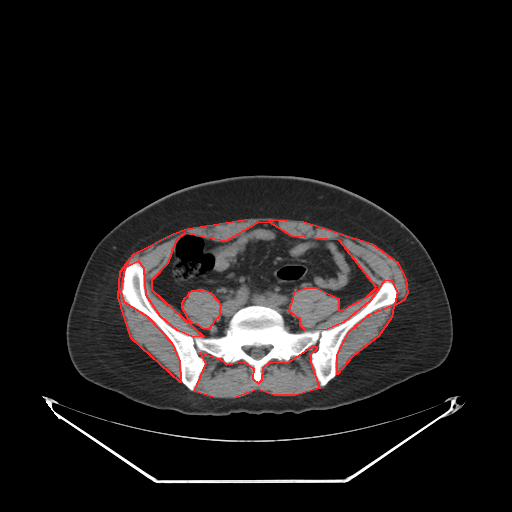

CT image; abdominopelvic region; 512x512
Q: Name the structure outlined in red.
A: red: muscle.
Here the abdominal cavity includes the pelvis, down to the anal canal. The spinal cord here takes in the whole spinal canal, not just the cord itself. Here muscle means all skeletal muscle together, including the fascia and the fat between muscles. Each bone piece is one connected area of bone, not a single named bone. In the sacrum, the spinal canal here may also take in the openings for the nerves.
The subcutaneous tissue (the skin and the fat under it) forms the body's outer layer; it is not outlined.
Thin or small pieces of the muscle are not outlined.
{"muscle":[[[251,218],[303,221],[371,243],[397,262],[405,278],[407,293],[403,300],[393,306],[391,317],[378,336],[352,356],[337,374],[337,355],[348,332],[369,314],[395,303],[398,292],[392,281],[384,280],[370,300],[343,322],[327,329],[305,330],[300,325],[300,319],[289,311],[295,291],[307,287],[317,288],[338,298],[338,309],[341,310],[367,296],[376,287],[339,240],[292,236],[269,222],[256,223],[225,241],[184,233],[175,241],[167,263],[151,280],[151,289],[203,336],[193,337],[177,330],[160,316],[146,295],[144,268],[138,261],[124,268],[120,291],[123,301],[147,316],[171,342],[179,361],[180,382],[131,338],[118,297],[120,271],[134,253],[173,233],[187,228]],[[312,346],[316,346],[316,349],[310,354],[310,362],[319,388],[295,395],[274,395],[257,389],[233,398],[213,397],[194,391],[206,363],[200,352],[219,358],[226,364],[243,361],[253,368],[252,378],[258,383],[262,379],[263,367],[270,361],[288,362]],[[198,289],[203,289],[210,292],[218,301],[220,306],[220,308],[219,309],[219,315],[218,317],[213,321],[212,324],[208,329],[202,328],[197,324],[192,323],[188,319],[186,314],[182,308],[182,302],[185,297],[188,295],[189,292],[192,290],[197,290]]],"bones":[{"outer":[[133,262],[154,310],[193,338],[223,336],[250,305],[276,310],[293,333],[327,330],[359,312],[384,281],[397,293],[347,332],[336,374],[322,387],[312,345],[288,361],[270,360],[258,382],[243,360],[200,351],[205,363],[191,391],[172,342],[124,301]],"hole":[[264,345],[267,345],[268,346],[269,345],[270,345],[271,346],[271,349],[269,352],[266,353],[263,356],[262,356],[260,358],[254,358],[252,356],[249,355],[242,348],[242,347],[243,346],[251,346],[252,347],[260,347],[261,346],[263,346]]}],"abdominal_cavity":[{"outer":[[259,223],[275,225],[300,239],[339,241],[375,287],[341,309],[338,297],[317,287],[295,290],[288,311],[299,319],[303,331],[288,330],[276,309],[250,304],[231,316],[223,335],[205,337],[154,293],[151,282],[168,263],[176,241],[184,234],[225,242]],"hole":[[198,289],[203,289],[210,292],[218,301],[220,306],[220,308],[219,309],[219,315],[218,317],[213,321],[212,324],[208,329],[202,328],[197,324],[192,323],[188,319],[186,314],[182,308],[182,302],[185,297],[188,295],[189,292],[192,290],[197,290]]}],"spinal_cord":[[[264,345],[267,345],[268,346],[269,345],[270,345],[271,346],[271,349],[269,352],[266,353],[263,356],[262,356],[260,358],[254,358],[252,356],[249,355],[242,348],[242,347],[243,346],[251,346],[252,347],[260,347],[261,346],[263,346]]],"torso":[[[256,174],[294,175],[338,185],[381,206],[416,235],[436,266],[451,308],[453,341],[443,363],[362,400],[330,409],[281,414],[239,412],[190,415],[157,409],[133,401],[80,375],[68,354],[66,321],[79,278],[96,244],[123,219],[166,194],[204,181]]]}